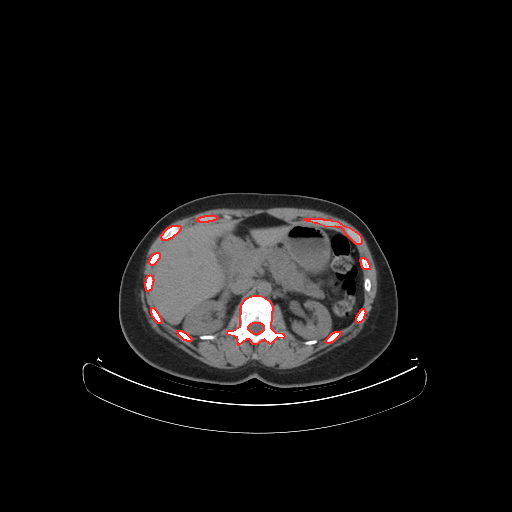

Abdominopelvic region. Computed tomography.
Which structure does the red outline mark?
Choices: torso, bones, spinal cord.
red: bones.
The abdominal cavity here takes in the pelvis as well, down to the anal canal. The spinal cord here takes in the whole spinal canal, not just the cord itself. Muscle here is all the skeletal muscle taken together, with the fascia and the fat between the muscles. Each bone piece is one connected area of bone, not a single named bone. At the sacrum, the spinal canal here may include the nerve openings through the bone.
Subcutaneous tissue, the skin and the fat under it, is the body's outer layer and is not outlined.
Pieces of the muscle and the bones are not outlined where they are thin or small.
{"bones":[{"outer":[[253,295],[260,295],[269,300],[272,305],[270,327],[275,332],[282,333],[284,335],[283,338],[277,337],[270,344],[264,339],[256,344],[253,344],[249,339],[246,339],[238,345],[237,337],[227,334],[228,330],[233,330],[240,326],[241,304],[246,298]],"hole":[[253,322],[259,322],[260,323],[261,323],[263,325],[263,330],[261,332],[260,332],[258,334],[254,334],[252,332],[251,332],[248,329],[248,326],[251,323],[252,323]]},[[305,218],[322,218],[323,219],[330,219],[331,220],[337,221],[343,225],[349,227],[358,233],[361,237],[361,243],[360,244],[356,244],[345,233],[344,230],[341,227],[336,227],[335,226],[326,227],[317,223],[314,223],[310,221],[306,221],[304,220]],[[172,225],[179,225],[180,226],[180,229],[179,230],[179,231],[175,235],[174,235],[171,238],[170,238],[169,239],[168,239],[167,240],[162,240],[162,239],[161,238],[161,235],[163,233],[163,232],[168,227],[169,227],[170,226],[171,226]],[[205,215],[215,215],[217,217],[217,218],[215,220],[213,220],[212,221],[208,221],[207,222],[200,222],[199,221],[197,221],[197,219],[199,217],[200,217],[201,216],[204,216]],[[150,274],[151,275],[152,275],[152,278],[153,279],[153,281],[152,282],[152,285],[151,286],[151,289],[150,290],[149,290],[148,291],[147,291],[146,290],[146,288],[145,287],[145,282],[146,281],[146,278],[147,277],[147,276],[148,275],[149,275]],[[335,331],[340,331],[340,333],[339,334],[339,335],[332,342],[331,342],[330,343],[327,343],[326,342],[326,339],[333,332],[334,332]],[[152,307],[153,307],[156,310],[156,311],[158,313],[158,314],[159,315],[159,316],[160,317],[160,318],[161,319],[161,322],[160,323],[158,323],[154,319],[154,318],[152,316],[152,314],[151,313],[151,308]],[[156,252],[158,252],[159,253],[159,258],[157,260],[157,261],[155,263],[155,264],[154,264],[153,265],[151,265],[149,263],[149,260],[150,259],[150,258],[151,257],[151,256],[154,253],[155,253]],[[177,330],[181,330],[182,331],[183,331],[184,332],[185,332],[189,336],[190,336],[190,337],[191,338],[191,340],[190,341],[187,341],[186,340],[184,340],[178,334],[178,333],[177,332]],[[362,308],[363,308],[364,309],[364,310],[365,311],[365,313],[364,314],[364,316],[363,317],[363,319],[360,322],[359,322],[358,323],[356,321],[356,317],[357,316],[357,315],[358,314],[358,313],[360,311],[360,310]],[[362,257],[363,257],[364,258],[365,258],[367,260],[367,261],[368,262],[368,263],[369,264],[369,269],[364,269],[362,267],[362,266],[361,265],[361,262],[360,261],[360,259]]],"torso":[[[223,192],[319,197],[345,206],[366,223],[388,261],[398,298],[395,334],[379,357],[362,370],[333,383],[311,387],[276,387],[256,378],[233,385],[192,381],[165,373],[134,352],[122,333],[118,317],[119,286],[130,255],[146,232],[166,213],[190,200]]],"spinal_cord":[[[253,322],[259,322],[260,323],[261,323],[263,325],[263,330],[261,332],[260,332],[258,334],[254,334],[252,332],[251,332],[248,329],[248,326],[251,323],[252,323]]],"muscle":[{"outer":[[273,207],[294,207],[295,208],[306,208],[307,209],[313,209],[314,210],[322,211],[331,215],[333,215],[336,217],[338,217],[348,222],[355,227],[364,237],[370,250],[370,252],[373,258],[374,264],[376,268],[377,291],[376,292],[376,295],[374,298],[374,301],[373,302],[372,308],[370,311],[368,319],[364,324],[363,328],[359,333],[352,339],[339,346],[335,347],[333,349],[322,354],[320,356],[302,365],[300,365],[293,368],[288,368],[287,369],[276,369],[273,367],[266,366],[259,362],[257,359],[257,356],[255,354],[253,354],[252,355],[253,359],[251,361],[249,361],[243,365],[238,366],[232,369],[222,369],[221,368],[213,367],[198,360],[196,358],[188,354],[157,333],[151,327],[144,316],[143,311],[141,308],[141,300],[140,299],[140,283],[141,282],[141,274],[144,266],[144,258],[152,242],[155,238],[166,227],[174,221],[181,219],[184,217],[187,217],[188,216],[193,215],[202,211],[205,211],[210,209],[215,209],[216,208],[259,208],[260,209],[266,209],[267,208],[272,208]],"hole":[[263,213],[286,222],[305,218],[330,219],[349,227],[360,235],[361,243],[357,244],[356,247],[359,256],[365,258],[369,264],[369,269],[363,270],[363,278],[368,278],[371,284],[370,290],[368,292],[365,290],[363,293],[362,307],[365,311],[363,319],[358,323],[354,319],[349,325],[340,329],[339,335],[332,342],[327,343],[324,338],[319,339],[314,344],[305,344],[303,340],[289,331],[282,310],[276,303],[272,305],[270,327],[275,332],[282,333],[284,337],[277,337],[270,344],[264,339],[256,344],[246,339],[238,345],[237,337],[227,334],[228,330],[233,330],[241,324],[240,303],[234,309],[227,325],[216,333],[213,339],[201,339],[191,336],[191,340],[187,341],[178,334],[175,327],[162,319],[158,323],[151,313],[151,308],[154,306],[152,291],[146,290],[145,282],[147,276],[154,273],[156,265],[149,263],[151,256],[156,252],[160,253],[168,241],[162,240],[163,232],[172,225],[179,225],[181,228],[188,226],[205,215],[215,215],[217,220],[223,220],[223,216],[227,215],[230,220],[242,221]]}],"abdominal_cavity":[[[263,213],[286,222],[303,220],[343,232],[356,245],[364,292],[355,319],[323,339],[304,341],[289,331],[278,304],[253,294],[237,304],[227,325],[215,334],[194,337],[166,323],[154,307],[151,290],[154,268],[166,242],[181,228],[196,222],[242,221]]]}